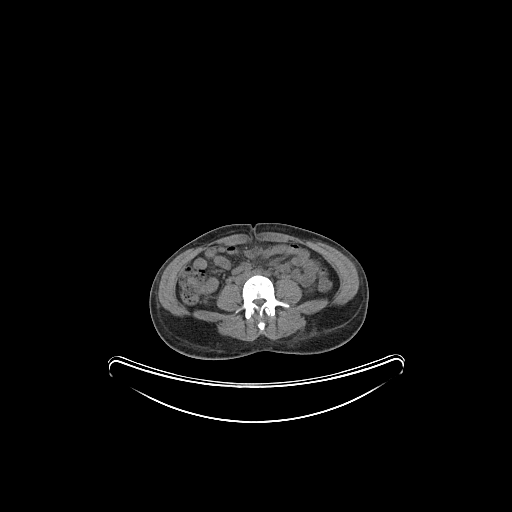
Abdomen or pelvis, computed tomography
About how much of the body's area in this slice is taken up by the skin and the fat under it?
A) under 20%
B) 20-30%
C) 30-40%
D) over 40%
Answer: C) 30-40%
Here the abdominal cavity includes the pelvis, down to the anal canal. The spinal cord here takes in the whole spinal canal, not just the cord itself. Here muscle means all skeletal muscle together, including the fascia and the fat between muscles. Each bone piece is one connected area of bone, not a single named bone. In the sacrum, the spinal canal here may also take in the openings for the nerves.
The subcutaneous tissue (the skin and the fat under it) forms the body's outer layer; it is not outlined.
{"muscle":[{"outer":[[260,232],[278,232],[279,233],[283,233],[284,234],[295,236],[302,239],[320,241],[334,247],[340,251],[344,255],[345,255],[354,264],[357,270],[357,273],[359,278],[359,286],[358,287],[357,293],[354,296],[354,297],[344,306],[342,306],[341,307],[327,307],[326,308],[324,308],[319,312],[316,313],[312,317],[313,320],[311,322],[310,322],[304,328],[301,329],[292,336],[290,336],[286,338],[278,339],[277,340],[272,340],[267,338],[265,336],[260,336],[253,341],[242,341],[241,340],[238,340],[237,339],[231,338],[230,337],[221,336],[217,332],[215,327],[211,323],[209,323],[202,320],[198,320],[192,317],[184,317],[183,318],[176,317],[172,315],[159,305],[159,301],[158,300],[158,288],[159,287],[159,283],[160,282],[162,274],[166,267],[179,254],[187,249],[189,249],[190,248],[195,248],[198,246],[203,245],[213,240],[215,240],[216,239],[218,239],[228,235],[231,235],[232,234],[238,234],[239,233],[243,233],[248,235],[253,235],[256,233],[259,233]],"hole":[[253,241],[311,249],[338,276],[338,288],[329,298],[299,302],[296,281],[275,280],[275,297],[289,306],[264,313],[262,330],[257,311],[247,319],[242,308],[236,312],[242,287],[233,282],[215,298],[223,311],[190,310],[176,294],[182,270],[215,244]]}],"abdominal_cavity":[[[253,241],[290,241],[311,249],[338,276],[338,288],[329,298],[299,302],[302,289],[296,281],[278,279],[273,282],[268,276],[255,273],[243,286],[227,282],[221,288],[215,303],[223,311],[190,310],[176,294],[182,270],[203,250],[215,244],[241,245]]],"bones":[{"outer":[[255,274],[268,277],[274,285],[275,297],[279,301],[289,305],[288,307],[277,305],[273,316],[264,313],[261,318],[265,324],[262,330],[258,327],[261,318],[257,311],[247,319],[245,317],[245,311],[242,308],[236,312],[243,303],[242,287],[244,283]],"hole":[[256,299],[257,299],[258,299],[259,299],[260,299],[261,299],[262,299],[263,299],[264,300],[264,301],[264,302],[263,303],[262,304],[261,305],[260,305],[259,305],[258,305],[257,305],[256,304],[255,303],[254,302],[254,301],[255,300]]}],"torso":[[[258,222],[290,224],[322,234],[341,244],[358,259],[367,277],[369,299],[365,320],[357,333],[343,345],[317,354],[261,351],[232,359],[206,360],[189,357],[169,347],[156,332],[149,312],[150,287],[159,267],[181,246],[209,230],[227,224],[254,224]]],"spinal_cord":[[[256,299],[257,299],[258,299],[259,299],[260,299],[261,299],[262,299],[263,299],[264,300],[264,301],[264,302],[263,303],[262,304],[261,305],[260,305],[259,305],[258,305],[257,305],[256,304],[255,303],[254,302],[254,301],[255,300]]]}